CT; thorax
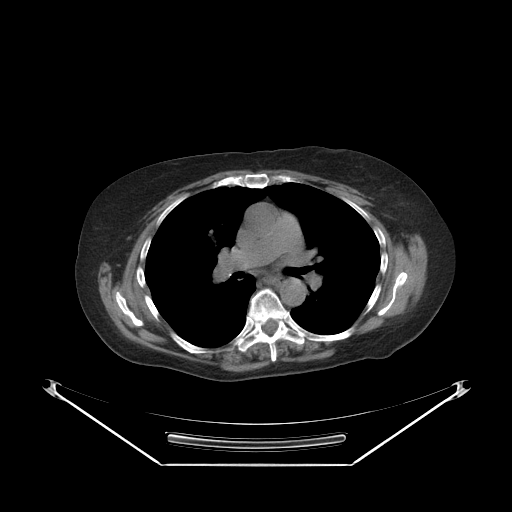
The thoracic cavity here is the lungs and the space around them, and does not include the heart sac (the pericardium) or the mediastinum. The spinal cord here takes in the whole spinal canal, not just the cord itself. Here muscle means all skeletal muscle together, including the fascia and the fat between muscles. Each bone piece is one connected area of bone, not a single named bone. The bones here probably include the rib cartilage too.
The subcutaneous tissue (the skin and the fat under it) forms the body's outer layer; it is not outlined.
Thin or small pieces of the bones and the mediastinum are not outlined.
The mediastinum appears in 2 outlined pieces: piece 1: 250,205 242,218 236,243 247,257 251,270 261,271 287,264 300,254 304,237 299,221 310,252 308,265 313,272 307,288 309,293 300,305 290,310 270,287 262,287 255,292 255,278 234,269 232,247 244,211; piece 2: 266,195 269,195 276,202 276,203 279,206 280,206 285,210 288,211 286,211 285,210 280,209 279,208 274,206 272,204 270,204 268,202 267,202 266,201 259,201 256,203 254,203 255,203 256,202 261,200. The spinal cord is outlined by 269,319 272,319 273,320 274,320 275,321 276,321 276,322 277,323 277,327 276,328 276,329 274,331 274,332 271,335 269,335 268,334 267,334 263,330 263,329 262,328 262,326. The bones appear in 13 outlined pieces: piece 1: 262,288 270,288 291,317 310,332 336,334 352,325 354,331 345,339 333,341 306,339 302,344 297,344 278,339 275,342 274,362 270,357 269,345 265,342 255,343 244,352 235,346 226,350 245,324 250,298; inner edge: 269,319 272,319 273,320 274,320 275,321 276,321 276,322 277,323 277,327 276,328 276,329 274,331 274,332 271,335 269,335 268,334 267,334 263,330 263,329 262,328 262,326; piece 2: 250,173 265,173 268,175 286,174 300,179 303,183 283,182 282,183 269,184 262,188 252,188 245,186 232,185 231,186 219,186 215,188 209,188 208,189 208,187 214,181 219,180 224,177 235,175 244,175; piece 3: 171,331 174,331 180,337 194,345 196,345 200,347 203,347 204,348 209,348 210,349 212,349 214,351 213,352 199,353 198,354 196,354 195,353 190,353 188,351 185,350 179,346 172,339 170,336 170,332; piece 4: 117,291 120,292 120,293 125,298 125,300 126,301 126,303 128,307 133,312 135,316 137,318 143,321 143,325 141,326 136,326 134,325 131,319 121,310 121,309 119,307 115,299 115,293; piece 5: 402,271 405,272 407,274 407,277 404,283 402,285 399,286 396,289 395,298 391,306 385,312 385,313 382,315 378,315 377,314 377,312 380,309 384,307 391,299 392,297 393,285 395,282 395,278 396,276; piece 6: 186,193 188,194 188,197 187,197 184,200 179,203 173,209 172,209 171,211 170,211 169,213 163,219 163,220 158,226 158,227 157,227 156,226 156,221 157,220 158,216 173,201 174,201 178,197; piece 7: 377,283 380,283 381,284 381,289 380,290 379,295 378,296 375,303 370,309 370,310 367,313 364,314 364,311 365,310 365,307 366,306 366,304 367,303 367,302 374,289 374,287 375,286 375,285; piece 8: 341,197 345,197 346,198 351,200 357,205 358,205 360,207 361,207 369,215 370,220 368,222 367,221 366,221 366,220 355,209 354,209 351,206 350,206 347,203 346,203 343,200 342,200 341,199; piece 9: 146,294 149,295 151,297 153,303 155,305 155,306 156,307 157,310 159,312 159,314 160,315 159,316 159,320 158,321 155,319 155,318 151,313 150,310 148,308 148,307 145,302 145,299 144,298 144,296; piece 10: 148,237 151,237 152,238 151,239 151,242 150,243 150,245 149,246 149,248 148,249 148,251 147,252 147,254 146,255 145,260 144,261 141,261 140,260 140,252 141,251 142,246 143,245 145,240; piece 11: 138,266 141,266 143,268 143,270 144,271 144,277 145,278 145,282 146,283 146,285 144,287 141,287 139,285 139,284 138,283 138,282 137,281 137,279 136,278 136,269 137,268 137,267; piece 12: 374,226 377,226 382,231 382,232 384,235 384,237 385,238 385,247 382,247 381,246 380,246 380,245 379,244 379,242 378,241 378,240 377,239 377,238 376,237 376,236 375,235 375,234 372,229 372,228; piece 13: 383,251 385,251 386,252 386,253 387,254 387,267 386,268 386,269 385,270 385,272 383,274 382,274 379,271 379,269 380,268 380,254. The muscle is outlined by 239,169 253,172 290,169 348,185 368,197 403,231 417,232 427,249 427,275 414,307 389,325 350,339 328,357 301,362 275,362 278,340 302,345 306,340 345,340 353,334 353,324 358,316 364,308 363,314 367,314 380,295 382,284 376,283 376,278 379,272 383,275 388,267 387,252 383,250 380,253 380,247 386,247 386,238 377,225 371,227 368,223 370,215 345,196 339,198 290,174 250,172 224,176 214,180 207,189 191,196 186,192 173,200 157,216 154,235 148,236 141,246 139,260 144,262 144,267 136,267 135,278 141,288 147,286 150,292 143,298 154,319 158,322 161,316 167,322 173,330 169,336 185,351 196,355 213,353 215,351 210,348 228,344 224,349 226,351 235,347 244,353 255,344 265,343 272,362 253,370 229,371 146,347 122,335 100,297 97,280 100,264 127,243 140,219 173,191 217,172; inner edges: 117,291 120,292 120,293 125,298 125,300 126,301 126,303 128,307 133,312 135,316 137,318 143,321 143,325 141,326 136,326 134,325 131,319 121,310 121,309 119,307 115,299 115,293, then 402,271 405,272 407,274 407,277 404,283 402,285 399,286 396,289 395,298 391,306 385,312 385,313 382,315 378,315 377,314 377,312 380,309 384,307 391,299 392,297 393,285 395,282 395,278 396,276. The torso is outlined by 306,145 347,148 378,157 408,175 432,200 453,234 457,261 451,288 428,326 411,342 383,359 363,359 318,371 235,382 214,381 168,368 140,365 114,353 87,320 74,278 81,226 96,195 117,178 167,159. The thoracic cavity is outlined by 283,183 327,192 370,226 379,268 365,306 336,333 310,331 292,317 310,293 311,252 297,216 266,194 243,211 231,247 233,269 255,282 242,328 216,347 186,340 160,314 146,282 145,261 159,226 205,190. The pericardium is outlined by 259,202 266,202 280,210 292,214 297,219 300,232 303,237 302,243 303,248 299,254 293,259 287,263 266,269 265,268 261,270 250,268 248,257 240,249 237,243 237,236 240,232 243,218 247,210 251,205.